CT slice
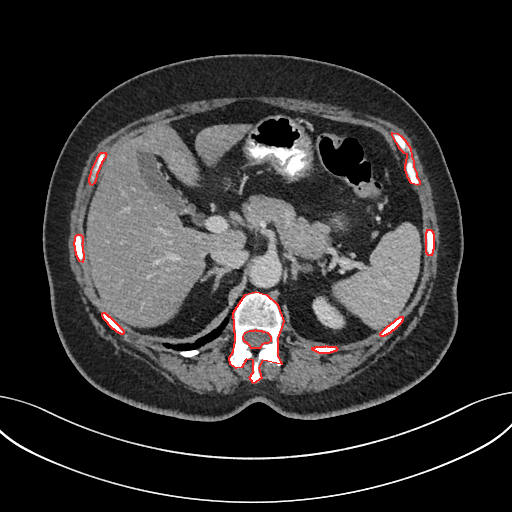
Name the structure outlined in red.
red: bones.
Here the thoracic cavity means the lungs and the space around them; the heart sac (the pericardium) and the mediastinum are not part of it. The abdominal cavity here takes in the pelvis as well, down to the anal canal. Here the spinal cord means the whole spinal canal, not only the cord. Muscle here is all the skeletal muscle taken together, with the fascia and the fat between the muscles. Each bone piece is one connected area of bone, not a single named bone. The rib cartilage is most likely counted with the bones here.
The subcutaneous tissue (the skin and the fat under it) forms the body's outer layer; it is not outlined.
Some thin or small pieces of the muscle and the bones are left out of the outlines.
The bones appear in 8 outlined pieces: piece 1: 255,291 266,294 277,304 283,321 277,338 277,355 281,364 262,360 258,367 261,378 253,383 249,377 253,372 253,360 246,359 241,367 236,368 230,364 229,357 233,351 235,339 233,312 245,294 with a hole at 255,329 256,330 261,330 262,331 265,331 267,332 270,336 270,341 267,343 264,343 262,344 259,348 251,348 250,346 246,342 245,342 243,339 243,336 245,332 249,330 254,330; piece 2: 392,132 397,133 400,135 404,139 410,148 411,156 413,161 413,166 416,173 416,176 419,180 419,184 417,185 411,183 408,178 405,169 405,164 406,163 407,154 404,153 400,149 392,135; piece 3: 101,152 105,152 105,153 106,154 105,155 105,157 101,162 101,164 99,167 99,169 96,174 95,181 94,182 94,183 91,185 89,182 89,177 90,176 90,174 91,173 91,170 97,159 97,157; piece 4: 77,234 80,234 82,236 82,243 81,244 82,245 82,251 83,252 83,259 82,260 82,262 79,261 79,260 78,259 78,258 76,255 76,252 75,251 75,246 74,245 74,241 75,240 75,236; piece 5: 427,229 430,229 432,231 432,232 433,233 433,249 432,250 432,253 431,254 431,255 428,255 427,254 427,253 426,252 426,232 427,231; piece 6: 103,312 104,312 106,314 107,314 107,315 108,316 109,316 123,330 123,333 122,334 121,334 120,333 119,333 118,332 117,332 114,329 113,329 108,324 108,323 103,318 103,317 102,316 102,313; piece 7: 400,316 402,316 402,320 401,321 401,322 393,330 392,330 389,333 388,333 387,334 386,334 385,335 384,335 383,336 381,336 380,335 380,333 388,325 389,325 392,322 393,322 397,318 398,318; piece 8: 326,345 327,346 335,346 336,347 336,348 337,349 335,351 333,351 332,352 330,352 329,353 319,353 318,352 317,352 316,351 315,351 314,350 313,350 312,349 312,347 315,347 316,346 325,346. The muscle is outlined by 242,96 306,99 387,120 411,137 431,187 440,244 436,278 422,317 375,363 350,380 318,392 290,395 259,382 262,361 282,364 278,338 283,322 297,339 316,345 311,349 319,354 335,352 336,346 377,333 383,337 402,322 424,270 422,208 388,140 379,131 244,99 137,133 120,143 107,161 83,218 90,275 96,296 107,312 101,313 102,318 121,335 124,330 115,320 185,358 198,355 199,348 217,338 232,319 234,339 228,362 236,369 252,360 251,383 233,393 218,397 195,394 117,350 97,333 70,267 70,212 87,155 97,143 130,122 181,103, around holes outlined by 392,132 397,133 400,135 404,139 410,148 411,156 413,161 413,166 416,173 416,176 419,180 419,184 417,185 411,183 408,178 405,169 405,164 406,163 407,154 404,153 400,149 392,135 and by 101,152 105,152 105,153 106,154 105,155 105,157 101,162 101,164 99,167 99,169 96,174 95,181 94,182 94,183 91,185 89,182 89,177 90,176 90,174 91,173 91,170 97,159 97,157 and by 77,234 80,234 82,236 82,243 81,244 82,245 82,251 83,252 83,259 82,260 82,262 79,261 79,260 78,259 78,258 76,255 76,252 75,251 75,246 74,245 74,241 75,240 75,236 and by 427,229 430,229 432,231 432,232 433,233 433,249 432,250 432,253 431,254 431,255 428,255 427,254 427,253 426,252 426,232 427,231. The abdominal cavity is outlined by 244,100 365,126 387,140 421,208 424,263 412,300 381,331 340,345 305,342 289,329 278,304 255,290 239,299 232,318 226,317 205,335 193,342 162,345 114,319 99,300 85,247 84,218 117,147 144,131. The thoracic cavity is outlined by 226,318 228,318 228,322 221,333 217,337 205,343 198,348 186,349 185,350 176,350 175,349 172,349 163,346 164,344 187,344 188,343 193,343 199,338 205,336 206,334 211,332 212,330 217,328. The torso is outlined by 236,53 307,57 364,73 409,102 438,140 462,217 457,328 436,367 389,400 319,419 290,418 259,401 218,421 182,419 100,391 76,369 60,341 50,305 42,225 51,174 68,135 102,95 137,74 184,59. The spinal cord is outlined by 255,329 256,330 261,330 262,331 265,331 267,332 270,336 270,341 267,343 264,343 262,344 259,348 251,348 250,346 246,342 245,342 243,339 243,336 245,332 249,330 254,330.